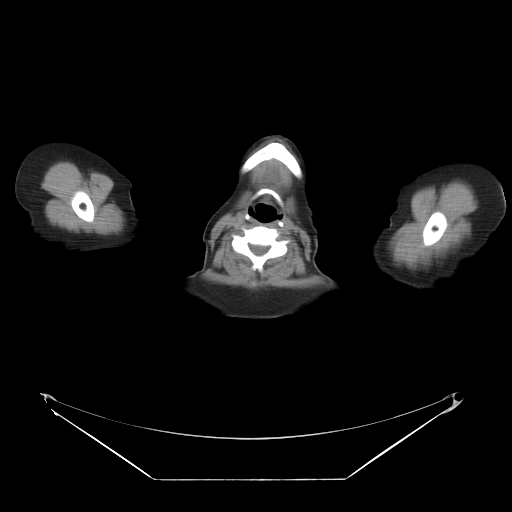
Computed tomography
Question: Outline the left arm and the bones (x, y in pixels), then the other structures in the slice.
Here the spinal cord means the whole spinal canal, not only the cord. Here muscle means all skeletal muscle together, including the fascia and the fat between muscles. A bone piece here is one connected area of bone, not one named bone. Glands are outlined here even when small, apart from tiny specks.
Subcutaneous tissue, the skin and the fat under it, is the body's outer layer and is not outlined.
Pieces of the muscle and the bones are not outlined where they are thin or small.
Answer: The left arm is outlined by 454 160; 479 162; 495 173; 505 201; 506 212; 503 219; 485 248; 462 268; 458 277; 445 281; 438 289; 418 291; 388 281; 372 264; 370 246; 380 230; 389 224; 389 217; 396 207; 396 198; 399 189; 411 181; 418 173; 437 164. The bones appear in 5 outlined pieces: piece 1: 256 225; 263 225; 266 227; 276 228; 280 233; 282 238; 290 240; 287 244; 287 251; 285 254; 267 259; 264 262; 262 269; 260 271; 253 269; 251 260; 246 255; 236 252; 232 248; 231 245; 232 234; 239 233; 241 227; 249 229; inner edge: 249 244; 251 244; 252 245; 260 245; 261 246; 268 246; 269 247; 269 248; 267 250; 267 251; 265 253; 264 253; 263 254; 261 254; 260 255; 257 255; 256 254; 255 254; 252 252; 252 251; 250 249; 250 248; 249 247; piece 2: 271 142; 278 142; 281 143; 294 156; 297 162; 299 164; 302 171; 302 176; 300 178; 296 177; 284 163; 275 158; 271 158; 270 159; 263 160; 254 166; 250 170; 244 173; 242 173; 240 171; 240 168; 242 164; 248 157; 262 147; piece 3: 435 211; 440 211; 444 214; 446 218; 446 220; 447 221; 447 226; 443 234; 441 236; 441 237; 436 242; 435 242; 431 245; 426 246; 424 245; 423 243; 422 232; 423 231; 424 226; 427 222; 429 217; 431 215; 431 214; piece 4: 78 190; 82 190; 84 191; 89 196; 92 202; 92 204; 94 208; 94 217; 93 218; 93 220; 91 222; 87 222; 83 220; 81 218; 80 218; 76 214; 76 213; 73 210; 71 206; 71 204; 70 203; 70 200; 73 194; 76 191; piece 5: 262 188; 267 188; 277 193; 278 195; 281 198; 282 200; 282 202; 283 203; 283 205; 281 207; 279 205; 279 204; 277 202; 275 198; 271 194; 269 193; 264 193; 260 195; 255 199; 253 199; 252 197; 255 194; 255 193. The right arm is outlined by 50 141; 67 141; 84 146; 104 157; 131 181; 131 198; 140 218; 139 227; 141 229; 140 237; 135 243; 123 249; 72 251; 64 250; 38 237; 33 232; 30 226; 28 213; 21 207; 15 197; 14 181; 18 167; 25 155; 34 147. The muscle appears in 4 outlined pieces: piece 1: 271 159; 275 159; 284 164; 298 179; 303 176; 303 173; 303 182; 299 190; 298 198; 299 216; 301 225; 307 231; 311 240; 311 270; 330 283; 330 285; 305 289; 267 287; 251 290; 240 286; 211 283; 200 277; 210 265; 212 258; 209 243; 212 227; 230 209; 235 201; 237 206; 242 207; 247 205; 251 200; 252 194; 248 190; 243 191; 237 198; 244 186; 240 172; 244 174; 261 162; inner edges: 256 225; 263 225; 266 227; 276 228; 280 233; 282 238; 290 240; 287 244; 287 251; 285 254; 267 259; 264 262; 262 269; 260 271; 253 269; 251 260; 246 255; 236 252; 232 248; 231 245; 232 234; 239 233; 241 227; 249 229, then 259 204; 269 205; 275 207; 277 213; 280 215; 282 215; 282 216; 278 217; 275 219; 271 219; 268 221; 261 221; 260 220; 256 220; 254 219; 251 217; 251 215; 249 213; 248 209; 249 207; 251 206; 256 207; 257 205, then 262 188; 267 188; 277 193; 278 195; 281 198; 282 200; 282 202; 283 203; 283 205; 281 207; 279 205; 279 204; 277 202; 275 198; 271 194; 269 193; 264 193; 260 195; 255 199; 253 199; 252 197; 255 194; 255 193, then 289 196; 291 196; 292 197; 293 197; 293 198; 294 199; 294 201; 295 202; 295 205; 296 206; 296 211; 295 212; 295 213; 294 213; 293 214; 290 214; 289 213; 288 213; 285 209; 285 201; 286 200; 287 197; 288 197; piece 2: 456 178; 463 179; 472 185; 479 201; 478 216; 476 218; 472 229; 471 238; 466 241; 450 259; 448 259; 432 269; 423 271; 409 271; 400 269; 394 266; 388 255; 386 247; 390 237; 410 216; 411 195; 417 189; 426 185; 450 181; inner edge: 435 211; 440 211; 444 214; 446 218; 446 220; 447 221; 447 226; 443 234; 441 236; 441 237; 436 242; 435 242; 431 245; 426 246; 424 245; 423 243; 422 232; 423 231; 424 226; 427 222; 429 217; 431 215; 431 214; piece 3: 58 160; 69 160; 79 163; 85 169; 94 169; 105 173; 113 180; 113 189; 116 203; 124 212; 126 218; 126 225; 121 233; 111 235; 100 235; 82 231; 75 233; 49 224; 44 214; 45 203; 43 192; 40 187; 40 181; 48 166 with a hole at 78 190; 82 190; 84 191; 89 196; 92 202; 92 204; 94 208; 94 217; 93 218; 93 220; 91 222; 87 222; 83 220; 81 218; 80 218; 76 214; 76 213; 73 210; 71 206; 71 204; 70 203; 70 200; 73 194; 76 191; piece 4: 271 138; 279 138; 285 141; 292 148; 293 151; 296 154; 296 155; 300 160; 300 165; 295 156; 281 142; 279 142; 278 141; 271 141; 267 143; 265 145; 262 146; 260 148; 253 152; 249 156; 247 157; 248 154; 259 144. The head and neck is outlined by 269 134; 281 134; 289 138; 305 159; 309 171; 306 194; 318 232; 315 261; 324 273; 341 284; 346 291; 328 297; 296 315; 270 319; 225 317; 178 290; 175 283; 202 266; 205 251; 203 231; 209 218; 234 188; 236 163; 252 143 with a hole at 259 204; 269 205; 275 207; 277 213; 280 215; 282 215; 282 216; 278 217; 275 219; 271 219; 268 221; 261 221; 260 220; 256 220; 254 219; 251 217; 251 215; 249 213; 248 209; 249 207; 251 206; 256 207; 257 205. The submandibular glands appear in 2 outlined pieces: piece 1: 289 196; 291 196; 292 197; 293 197; 293 198; 294 199; 294 201; 295 202; 295 205; 296 206; 296 211; 295 212; 295 213; 294 213; 293 214; 290 214; 289 213; 288 213; 285 209; 285 201; 286 200; 287 197; 288 197; piece 2: 245 191; 248 191; 250 192; 251 194; 251 196; 250 197; 250 200; 247 204; 245 205; 243 205; 242 206; 239 206; 237 205; 236 203; 236 201; 237 199; 243 193; 243 192. The spinal cord is outlined by 249 244; 251 244; 252 245; 260 245; 261 246; 268 246; 269 247; 269 248; 267 250; 267 251; 265 253; 264 253; 263 254; 261 254; 260 255; 257 255; 256 254; 255 254; 252 252; 252 251; 250 249; 250 248; 249 247.